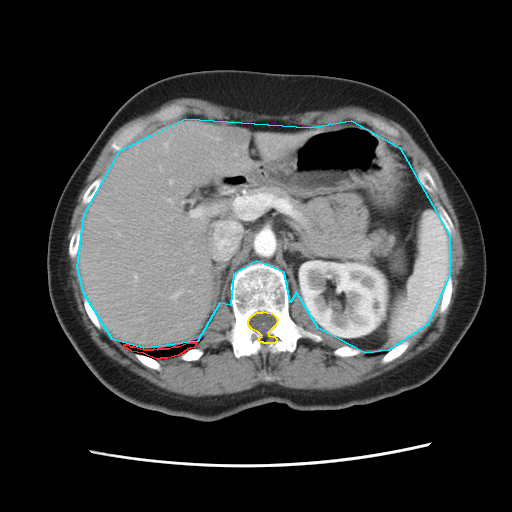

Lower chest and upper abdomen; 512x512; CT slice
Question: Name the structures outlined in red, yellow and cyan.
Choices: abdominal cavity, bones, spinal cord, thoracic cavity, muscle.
Answer: red: thoracic cavity; yellow: spinal cord; cyan: abdominal cavity.
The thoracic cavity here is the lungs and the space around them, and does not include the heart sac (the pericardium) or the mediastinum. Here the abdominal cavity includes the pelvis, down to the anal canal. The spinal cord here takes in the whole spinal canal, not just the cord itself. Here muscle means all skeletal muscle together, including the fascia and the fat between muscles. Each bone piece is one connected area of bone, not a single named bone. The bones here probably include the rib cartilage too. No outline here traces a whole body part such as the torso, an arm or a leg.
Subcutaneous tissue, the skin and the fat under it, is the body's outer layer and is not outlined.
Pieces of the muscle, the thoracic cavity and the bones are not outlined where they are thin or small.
The thoracic cavity is outlined by 188 342; 196 342; 194 347; 189 348; 178 355; 167 358; 160 358; 159 359; 156 359; 143 353; 131 351; 124 346; 124 344; 127 344; 130 346; 134 346; 143 349; 153 349; 154 348; 157 349; 158 348; 168 348; 173 346; 178 346. The spinal cord is outlined by 263 311; 271 313; 274 315; 277 319; 276 324; 267 333; 268 335; 273 336; 276 338; 276 341; 274 343; 264 343; 263 342; 260 342; 259 341; 259 338; 262 336; 258 332; 252 329; 248 325; 248 320; 251 316; 257 312; 262 312. The abdominal cavity is outlined by 185 118; 310 127; 351 120; 399 147; 449 235; 449 275; 427 324; 388 350; 365 353; 318 328; 296 292; 290 302; 284 272; 256 261; 233 274; 230 305; 219 303; 197 341; 143 348; 112 339; 84 294; 77 267; 84 214; 120 150. The bones appear in 12 outlined pieces: piece 1: 256 262; 269 263; 283 272; 289 289; 290 317; 306 330; 320 335; 323 339; 321 341; 302 337; 298 339; 292 352; 268 352; 264 358; 260 352; 236 357; 230 342; 226 339; 219 340; 231 329; 235 321; 230 302; 233 276; 242 267; inner edge: 263 311; 271 313; 274 315; 277 319; 276 324; 267 333; 268 335; 273 336; 276 338; 276 341; 274 343; 264 343; 263 342; 260 342; 259 341; 259 338; 262 336; 258 332; 252 329; 248 325; 248 320; 251 316; 257 312; 262 312; piece 2: 172 104; 184 106; 185 107; 185 112; 183 115; 174 119; 169 119; 164 121; 152 121; 140 133; 136 135; 133 139; 121 149; 117 151; 114 151; 111 149; 110 146; 112 142; 126 128; 139 120; 144 119; 153 113; 157 112; 159 110; piece 3: 422 167; 424 167; 425 168; 426 168; 430 173; 430 174; 436 185; 436 187; 437 188; 436 191; 435 191; 434 192; 428 192; 425 189; 425 188; 418 181; 418 180; 417 179; 417 177; 416 176; 416 171; 417 171; 420 168; 421 168; piece 4: 406 341; 407 342; 409 342; 409 345; 406 349; 406 350; 401 355; 400 355; 398 357; 395 358; 393 360; 389 362; 387 362; 386 363; 382 363; 381 362; 381 360; 385 353; 386 353; 389 350; 390 350; 395 346; 403 342; 405 342; piece 5: 450 275; 451 279; 452 280; 452 292; 451 293; 451 298; 450 299; 450 302; 445 312; 443 313; 439 313; 439 310; 440 309; 440 305; 441 304; 441 302; 442 301; 442 298; 444 294; 444 291; 446 287; 446 283; 448 279; 448 276; piece 6: 343 345; 349 345; 355 348; 358 348; 359 349; 361 349; 363 351; 363 352; 362 353; 360 353; 356 355; 352 355; 351 356; 346 356; 345 357; 336 356; 334 355; 332 353; 332 352; 335 349; piece 7: 99 177; 100 177; 101 178; 101 182; 99 185; 99 187; 98 188; 96 193; 94 195; 94 196; 92 198; 92 199; 87 204; 83 204; 82 203; 82 198; 83 197; 83 195; 84 194; 85 191; 87 189; 87 188; 97 178; 98 178; piece 8: 372 117; 373 118; 376 118; 383 122; 385 122; 387 124; 392 126; 399 132; 399 135; 397 137; 396 137; 395 136; 392 136; 391 135; 386 133; 384 131; 375 127; 373 125; 373 124; 372 123; 372 121; 371 120; 371 118; piece 9: 438 204; 441 205; 444 208; 444 209; 446 211; 452 221; 452 223; 454 227; 454 230; 455 231; 452 234; 449 234; 448 233; 448 231; 446 229; 446 227; 444 225; 444 223; 442 221; 438 213; 438 210; 436 208; 436 206; piece 10: 78 228; 79 229; 80 229; 80 236; 79 237; 79 243; 78 244; 78 247; 77 248; 77 253; 74 258; 71 258; 68 253; 68 247; 69 246; 69 242; 70 241; 70 239; 72 236; 72 234; 74 232; 74 231; 76 229; 77 229; piece 11: 135 353; 138 353; 139 354; 143 354; 144 355; 146 355; 149 357; 151 357; 152 358; 157 360; 157 361; 159 363; 159 364; 161 367; 160 370; 156 370; 155 369; 152 369; 151 368; 149 368; 148 367; 143 365; 135 356; piece 12: 84 297; 85 297; 89 302; 89 303; 90 304; 90 305; 91 306; 91 307; 92 308; 92 309; 101 326; 101 328; 100 329; 97 328; 94 325; 94 324; 89 318; 89 317; 86 312; 86 310; 84 307; 84 303; 83 302. The muscle is outlined by 183 97; 199 98; 227 107; 237 108; 246 111; 251 111; 259 114; 271 114; 272 115; 282 115; 288 113; 298 113; 312 110; 328 110; 341 106; 353 105; 363 107; 370 111; 375 112; 382 116; 391 119; 401 125; 425 152; 428 158; 435 167; 456 214; 459 223; 460 234; 465 252; 463 267; 461 269; 460 274; 458 277; 459 281; 456 292; 456 297; 454 300; 451 311; 448 316; 444 333; 430 347; 411 359; 398 365; 393 369; 379 376; 366 380; 359 384; 331 390; 294 389; 293 388; 287 388; 275 383; 271 383; 270 384; 260 384; 250 389; 231 394; 223 394; 216 396; 203 396; 202 397; 185 396; 168 391; 151 383; 106 355; 92 340; 89 331; 86 329; 82 319; 75 313; 70 295; 65 289; 65 286; 61 278; 62 254; 64 252; 64 247; 67 242; 67 235; 70 229; 70 222; 72 214; 77 203; 78 195; 81 189; 84 186; 85 180; 89 172; 103 147; 114 132; 128 121; 140 115; 153 111; 163 103; 175 98; 182 98, around holes outlined by 172 104; 184 106; 183 115; 150 122; 134 140; 185 118; 228 124; 278 120; 317 127; 347 120; 372 126; 372 117; 395 128; 397 137; 374 128; 411 158; 415 172; 428 170; 437 189; 427 193; 454 227; 449 235; 452 292; 445 312; 437 310; 401 355; 382 363; 383 353; 334 355; 344 342; 313 323; 295 292; 290 295; 290 317; 323 339; 302 337; 292 352; 268 352; 265 358; 260 352; 236 357; 230 342; 219 340; 235 321; 223 299; 206 334; 196 342; 203 351; 198 360; 176 355; 158 359; 160 370; 143 365; 89 318; 76 258; 70 257; 68 247; 74 231; 82 228; 85 191; 118 153; 111 149; 112 142; 129 126 and by 266 375; 267 375; 268 375; 269 375; 270 376; 271 377; 271 378; 271 379; 271 380; 271 381; 270 381; 269 381; 268 381; 267 381; 266 381; 265 381; 264 380; 263 379; 264 378; 264 377; 265 376.